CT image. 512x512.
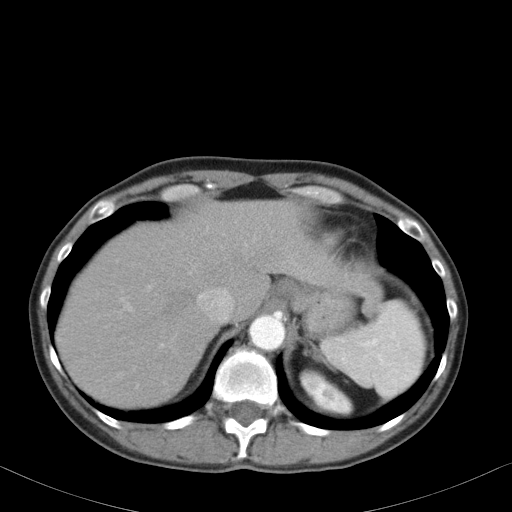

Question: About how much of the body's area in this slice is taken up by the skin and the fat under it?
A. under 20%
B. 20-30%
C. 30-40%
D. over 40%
Answer: A. under 20%
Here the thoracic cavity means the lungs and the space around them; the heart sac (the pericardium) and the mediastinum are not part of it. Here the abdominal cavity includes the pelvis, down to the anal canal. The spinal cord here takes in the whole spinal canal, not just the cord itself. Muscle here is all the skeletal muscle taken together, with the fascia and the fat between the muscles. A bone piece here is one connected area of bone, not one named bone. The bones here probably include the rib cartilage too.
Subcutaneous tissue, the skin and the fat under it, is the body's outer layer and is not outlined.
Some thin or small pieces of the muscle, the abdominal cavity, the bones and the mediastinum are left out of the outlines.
The abdominal cavity is outlined by [[257,180],[331,205],[318,209],[319,248],[334,261],[411,286],[433,327],[415,383],[373,413],[335,419],[294,397],[280,354],[274,367],[246,346],[227,354],[229,339],[171,405],[123,411],[77,389],[54,331],[92,254],[134,220],[164,217],[165,202]]. The bones appear in 12 outlined pieces: piece 1: [[241,347],[255,350],[274,369],[279,399],[290,414],[283,411],[275,415],[268,414],[266,431],[252,436],[246,447],[246,457],[238,459],[236,457],[239,451],[238,439],[224,429],[223,421],[227,415],[226,410],[211,395],[216,371],[221,361]]; inner edge: [[244,400],[249,400],[250,401],[253,401],[263,406],[263,413],[262,415],[260,417],[256,418],[247,425],[243,425],[241,424],[237,420],[236,420],[233,417],[230,416],[228,414],[228,404],[229,403],[233,403],[234,402],[239,402],[240,401],[243,401]]; piece 2: [[309,185],[312,186],[321,186],[322,187],[325,187],[326,188],[329,188],[335,190],[339,192],[343,196],[344,199],[342,203],[337,203],[336,204],[325,204],[320,202],[317,199],[312,198],[309,196],[294,193],[292,192],[290,189],[296,187],[308,186]]; piece 3: [[176,184],[194,184],[199,186],[201,188],[201,190],[200,192],[194,195],[190,195],[189,196],[187,196],[186,197],[184,197],[174,201],[164,201],[163,200],[161,200],[159,195],[159,192],[165,187],[171,186],[172,185],[175,185]]; piece 4: [[112,198],[113,198],[115,200],[115,202],[117,205],[117,208],[111,214],[110,214],[108,216],[107,216],[102,219],[100,219],[91,224],[89,224],[88,223],[88,215],[89,214],[92,207],[96,203],[96,202],[97,202],[100,199],[111,199]]; piece 5: [[400,217],[407,217],[408,218],[413,219],[415,220],[419,224],[422,231],[424,233],[424,236],[425,237],[424,240],[422,242],[420,242],[417,239],[405,233],[401,229],[400,229],[400,228],[395,223],[397,219]]; piece 6: [[291,420],[296,420],[297,421],[300,421],[306,424],[308,424],[309,425],[311,425],[312,426],[314,426],[318,428],[322,428],[323,429],[329,429],[331,430],[331,432],[328,435],[325,435],[324,436],[308,434],[304,432],[297,426],[293,425],[290,422]]; piece 7: [[192,413],[196,416],[196,419],[194,420],[192,422],[192,423],[191,423],[189,425],[187,425],[182,428],[178,428],[177,429],[165,429],[163,427],[162,427],[162,423],[164,422],[168,422],[169,421],[172,421],[173,420],[178,419],[181,417],[189,415]]; piece 8: [[94,408],[97,409],[102,413],[112,418],[114,418],[118,420],[120,422],[120,424],[121,425],[121,428],[120,429],[118,428],[115,428],[105,423],[102,420],[101,420],[94,412],[93,410]]; piece 9: [[404,412],[405,413],[405,414],[404,415],[403,418],[398,423],[397,423],[389,429],[387,429],[386,430],[384,430],[383,431],[381,431],[380,432],[378,432],[376,430],[376,429],[378,426],[387,422],[389,420],[398,416],[400,414],[401,414]]; piece 10: [[50,344],[52,344],[52,345],[56,352],[57,357],[59,360],[59,362],[61,365],[61,367],[64,372],[64,375],[61,374],[59,372],[59,371],[56,368],[56,367],[53,364],[53,363],[51,361],[51,360],[50,359],[50,356],[49,355],[49,345]]; piece 11: [[67,242],[72,242],[73,243],[73,244],[72,245],[72,247],[71,248],[71,249],[70,250],[69,253],[66,256],[66,257],[65,258],[64,258],[59,263],[57,261],[57,256],[58,255],[58,253],[59,252],[60,249]]; piece 12: [[444,352],[446,352],[447,354],[447,358],[446,359],[446,363],[445,364],[445,367],[440,374],[440,375],[438,377],[438,378],[435,381],[433,382],[431,382],[432,379],[434,377],[437,371],[437,369],[438,368],[439,363],[441,360],[441,356]]. The pericardium is outlined by [[319,210],[322,210],[327,212],[339,212],[340,213],[349,214],[354,216],[355,218],[365,224],[368,227],[369,236],[372,245],[382,267],[372,266],[366,263],[355,262],[354,261],[340,261],[337,262],[320,248],[320,219],[319,218]]. The muscle appears in 2 outlined pieces: piece 1: [[201,169],[251,175],[314,172],[337,177],[401,209],[425,228],[449,268],[458,297],[459,329],[446,380],[430,406],[415,421],[376,447],[338,461],[272,466],[243,459],[225,464],[189,464],[129,450],[68,401],[53,379],[43,353],[37,316],[39,294],[40,307],[46,310],[51,343],[49,359],[101,421],[119,430],[120,421],[161,423],[165,430],[182,429],[197,419],[193,413],[196,410],[204,405],[207,410],[212,407],[213,403],[208,401],[211,397],[225,410],[223,429],[237,439],[238,460],[247,457],[251,438],[267,431],[267,416],[281,412],[291,413],[298,420],[289,422],[312,436],[376,426],[378,433],[389,430],[404,418],[405,412],[445,369],[450,321],[456,318],[458,306],[451,297],[446,297],[442,280],[446,275],[444,266],[428,255],[422,244],[425,233],[415,219],[400,216],[393,221],[378,212],[343,203],[344,196],[329,187],[309,184],[283,192],[262,179],[219,191],[201,191],[194,183],[176,183],[163,187],[158,192],[160,199],[143,199],[118,207],[113,197],[102,198],[107,195],[154,176]] with a hole at [[206,182],[210,182],[211,183],[213,183],[214,184],[215,184],[217,186],[217,187],[216,188],[214,188],[213,189],[209,189],[208,188],[205,188],[203,186],[203,185]]; piece 2: [[92,205],[93,205],[91,207],[87,215],[87,223],[88,225],[74,242],[72,241],[67,241],[59,249],[56,256],[56,261],[59,264],[55,272],[51,285],[50,284],[47,284],[41,290],[40,293],[40,286],[54,250],[72,228],[79,218]]. The torso is outlined by [[188,155],[299,158],[341,164],[375,181],[429,223],[460,275],[468,326],[453,386],[417,433],[377,457],[340,469],[294,474],[250,469],[210,473],[129,460],[90,439],[66,417],[46,388],[32,351],[28,296],[40,261],[55,235],[92,196],[147,165]]. The mediastinum is outlined by [[337,204],[352,205],[373,212],[373,217],[377,226],[377,234],[376,235],[376,251],[377,255],[370,236],[369,227],[365,223],[355,217],[354,215],[349,213],[345,213],[339,211],[327,211],[319,209],[325,206],[329,207],[332,205],[336,205]]. The spinal cord is outlined by [[244,400],[249,400],[250,401],[253,401],[263,406],[263,413],[262,415],[260,417],[256,418],[247,425],[243,425],[241,424],[237,420],[236,420],[233,417],[230,416],[228,414],[228,404],[229,403],[233,403],[234,402],[239,402],[240,401],[243,401]]. The thoracic cavity appears in 3 outlined pieces: piece 1: [[374,213],[421,243],[441,278],[449,318],[446,344],[427,387],[405,411],[366,428],[318,427],[299,420],[281,401],[275,371],[279,355],[289,390],[298,402],[316,414],[352,420],[373,414],[409,390],[435,354],[434,327],[424,304],[407,281],[381,263]]; piece 2: [[143,200],[160,200],[164,202],[167,205],[167,213],[159,218],[134,219],[105,239],[74,274],[65,292],[55,322],[53,331],[55,349],[51,342],[48,328],[47,308],[52,283],[60,263],[67,257],[74,243],[89,225],[108,217],[118,208],[126,204]]; piece 3: [[229,340],[231,340],[232,342],[226,350],[224,356],[215,371],[210,397],[202,406],[193,412],[178,418],[155,423],[119,420],[91,405],[78,391],[79,390],[83,392],[98,404],[123,412],[161,409],[177,404],[196,391],[204,380],[218,350],[225,342]].